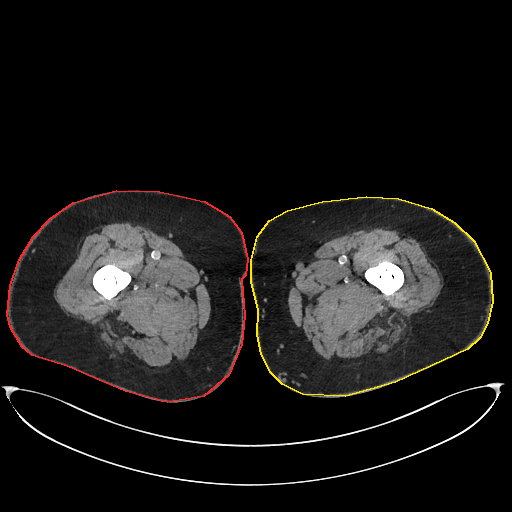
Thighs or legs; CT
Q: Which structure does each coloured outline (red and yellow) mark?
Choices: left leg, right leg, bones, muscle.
A: red: right leg; yellow: left leg.
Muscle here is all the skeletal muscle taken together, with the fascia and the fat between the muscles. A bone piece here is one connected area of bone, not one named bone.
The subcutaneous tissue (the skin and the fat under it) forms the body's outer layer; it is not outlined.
Outlines (x, y in pixels):
right leg: 116 190; 159 191; 204 201; 229 216; 241 232; 247 259; 245 275; 241 279; 244 315; 241 344; 228 375; 203 396; 167 402; 125 391; 67 366; 32 355; 22 347; 10 327; 7 314; 10 285; 19 259; 33 236; 50 218; 73 202
left leg: 366 196; 398 198; 431 208; 454 222; 473 240; 490 272; 492 301; 487 323; 479 338; 467 349; 395 382; 345 396; 302 394; 282 384; 271 373; 261 354; 257 334; 258 310; 251 281; 251 260; 257 236; 269 220; 287 210; 322 201
bones 1: 383 260; 388 260; 399 266; 403 271; 403 273; 404 274; 404 282; 401 287; 392 295; 389 295; 388 296; 386 296; 382 292; 381 292; 377 287; 369 283; 365 279; 365 277; 364 276; 365 271; 370 266; 374 266; 380 261; 382 261
bones 2: 106 264; 115 264; 122 270; 128 272; 131 276; 129 284; 127 285; 125 287; 125 288; 121 290; 111 299; 105 299; 103 298; 102 296; 94 288; 93 284; 92 283; 92 278; 93 277; 94 273; 99 268; 100 268; 102 266
muscle 1: 125 221; 146 226; 173 241; 181 249; 185 258; 200 272; 211 305; 209 311; 210 317; 195 347; 176 367; 166 371; 150 371; 110 354; 97 342; 94 327; 82 320; 67 315; 53 296; 56 284; 74 260; 77 241; 85 233; 100 225, around a hole outlined by 106 264; 115 264; 122 270; 128 272; 131 276; 129 284; 127 285; 125 287; 125 288; 121 290; 111 299; 105 299; 103 298; 102 296; 94 288; 93 284; 92 283; 92 278; 93 277; 94 273; 99 268; 100 268; 102 266
muscle 2: 368 227; 394 229; 401 234; 411 236; 417 240; 441 275; 443 286; 431 309; 410 330; 409 339; 397 351; 377 359; 349 364; 332 363; 320 356; 306 339; 302 330; 296 327; 289 313; 287 297; 297 275; 302 271; 322 243; 353 230; inner edge: 383 260; 388 260; 399 266; 403 271; 403 273; 404 274; 404 282; 401 287; 392 295; 389 295; 388 296; 386 296; 382 292; 381 292; 377 287; 369 283; 365 279; 365 277; 364 276; 365 271; 370 266; 374 266; 380 261; 382 261